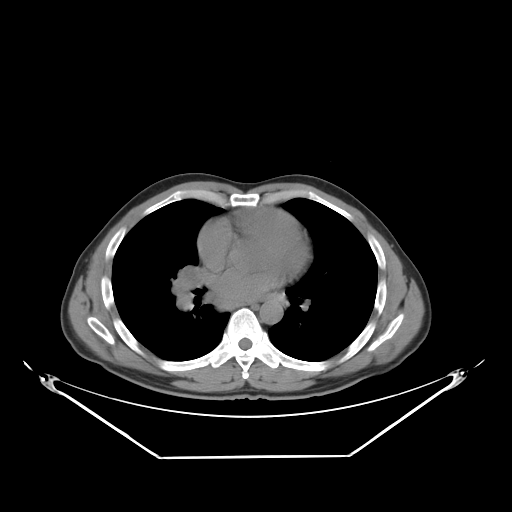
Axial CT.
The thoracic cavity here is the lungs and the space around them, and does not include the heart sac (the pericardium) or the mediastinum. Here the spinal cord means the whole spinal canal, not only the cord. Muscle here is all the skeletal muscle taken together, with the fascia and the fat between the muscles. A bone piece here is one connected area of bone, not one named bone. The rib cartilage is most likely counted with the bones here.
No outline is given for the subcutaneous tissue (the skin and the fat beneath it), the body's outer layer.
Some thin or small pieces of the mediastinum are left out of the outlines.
The pericardium is outlined by (256, 206) (273, 206) (281, 208) (293, 215) (307, 231) (311, 243) (312, 259) (302, 275) (291, 285) (285, 287) (283, 292) (276, 292) (252, 299) (245, 299) (216, 291) (202, 280) (200, 272) (197, 268) (200, 264) (196, 245) (198, 232) (209, 218) (225, 214) (238, 208). The spinal cord is outlined by (243, 338) (247, 338) (249, 340) (250, 340) (250, 341) (251, 342) (251, 345) (250, 346) (250, 347) (249, 347) (248, 348) (247, 348) (246, 349) (243, 349) (242, 348) (241, 348) (239, 346) (239, 341) (240, 340) (241, 340). The thoracic cavity appears in 2 outlined pieces: piece 1: (191, 198) (223, 210) (209, 217) (197, 232) (195, 245) (198, 262) (195, 267) (211, 297) (213, 309) (219, 314) (227, 312) (230, 315) (219, 342) (211, 350) (191, 359) (170, 360) (157, 356) (142, 345) (120, 317) (112, 288) (112, 264) (124, 237) (142, 218) (168, 204); piece 2: (293, 198) (305, 198) (320, 203) (351, 222) (365, 238) (377, 265) (376, 291) (368, 321) (345, 349) (322, 360) (305, 360) (291, 356) (276, 347) (268, 334) (268, 330) (282, 320) (286, 311) (286, 288) (300, 280) (314, 260) (314, 246) (306, 227) (282, 207) (284, 202). The torso is outlined by (185, 172) (210, 173) (242, 182) (308, 174) (354, 195) (386, 225) (422, 275) (432, 307) (425, 340) (399, 366) (385, 374) (334, 393) (295, 400) (202, 400) (172, 396) (136, 385) (80, 357) (64, 337) (59, 321) (61, 300) (78, 256) (110, 217) (140, 190) (157, 180). The mediastinum is outlined by (204, 283) (216, 292) (245, 300) (252, 300) (276, 293) (283, 293) (284, 290) (286, 308) (281, 320) (272, 325) (267, 331) (262, 327) (256, 314) (249, 307) (240, 307) (230, 314) (227, 311) (220, 313) (217, 312) (212, 305) (212, 297) (208, 293). The muscle is outlined by (190, 181) (216, 181) (217, 182) (226, 183) (232, 185) (244, 192) (246, 192) (252, 188) (264, 184) (268, 184) (269, 183) (276, 183) (277, 182) (297, 182) (298, 183) (304, 183) (308, 185) (311, 185) (318, 189) (320, 189) (328, 194) (337, 197) (344, 202) (358, 209) (363, 213) (363, 214) (394, 247) (402, 261) (406, 266) (410, 275) (414, 279) (420, 290) (421, 296) (424, 303) (424, 308) (425, 310) (424, 311) (424, 315) (423, 316) (421, 327) (416, 335) (396, 357) (388, 362) (379, 364) (378, 365) (371, 365) (360, 370) (358, 370) (351, 374) (333, 380) (311, 385) (301, 390) (294, 390) (293, 391) (268, 391) (265, 389) (256, 389) (250, 386) (247, 383) (242, 387) (236, 390) (215, 391) (214, 392) (193, 391) (192, 390) (179, 388) (176, 386) (174, 386) (169, 382) (167, 382) (148, 373) (114, 364) (96, 355) (86, 347) (86, 346) (76, 336) (72, 328) (68, 316) (68, 303) (69, 302) (69, 299) (73, 291) (74, 286) (79, 278) (86, 263) (95, 250) (96, 247) (100, 243) (109, 230) (130, 209) (162, 191) (164, 191) (177, 184) (180, 184) (184, 182) (189, 182) with holes at (192, 188) (226, 195) (303, 188) (351, 214) (385, 257) (385, 268) (377, 268) (377, 280) (385, 279) (385, 303) (379, 315) (373, 309) (369, 316) (376, 324) (367, 342) (343, 362) (337, 361) (345, 349) (330, 357) (332, 365) (318, 372) (272, 368) (255, 358) (246, 379) (234, 357) (218, 367) (166, 371) (145, 346) (139, 344) (144, 356) (128, 346) (113, 324) (120, 316) (116, 306) (107, 309) (101, 293) (102, 276) (112, 273) (108, 243) (149, 206) and at (400, 313) (403, 313) (404, 314) (404, 316) (403, 317) (403, 319) (399, 327) (394, 333) (394, 334) (390, 338) (386, 339) (383, 342) (382, 342) (376, 348) (375, 348) (373, 350) (371, 351) (368, 351) (367, 350) (368, 346) (386, 329) (388, 324) (396, 316) (397, 316) and at (89, 316) (93, 316) (94, 317) (97, 318) (108, 329) (108, 330) (110, 332) (110, 333) (112, 335) (112, 336) (114, 339) (114, 344) (110, 344) (109, 343) (108, 343) (102, 337) (101, 337) (99, 335) (98, 335) (89, 326) (89, 325) (87, 322) (87, 318). The bones appear in 10 outlined pieces: piece 1: (243, 307) (255, 314) (272, 344) (283, 353) (305, 361) (331, 359) (332, 365) (318, 372) (305, 371) (281, 364) (272, 368) (255, 358) (246, 379) (234, 357) (218, 367) (209, 364) (184, 371) (161, 369) (157, 358) (191, 360) (211, 351) (220, 342) (231, 314) with a hole at (243, 338) (247, 338) (249, 340) (250, 340) (250, 341) (251, 342) (251, 345) (250, 346) (250, 347) (249, 347) (248, 348) (247, 348) (246, 349) (243, 349) (242, 348) (241, 348) (239, 346) (239, 341) (240, 340) (241, 340); piece 2: (192, 188) (222, 192) (226, 195) (231, 193) (263, 194) (303, 188) (315, 192) (344, 209) (351, 214) (353, 220) (352, 222) (328, 206) (305, 197) (293, 197) (285, 201) (255, 206) (239, 205) (226, 207) (191, 197) (168, 203) (142, 217) (141, 214) (146, 208) (174, 191); piece 3: (369, 321) (374, 321) (376, 324) (375, 325) (375, 328) (371, 336) (369, 338) (367, 342) (355, 354) (354, 354) (351, 357) (350, 357) (343, 362) (341, 362) (340, 363) (337, 363) (337, 361) (338, 359) (346, 351) (346, 348) (359, 335) (359, 334) (363, 330) (363, 329); piece 4: (115, 317) (119, 317) (121, 319) (121, 320) (123, 322) (125, 326) (128, 329) (128, 330) (137, 340) (137, 341) (139, 343) (139, 346) (144, 352) (144, 354) (145, 355) (144, 356) (134, 351) (129, 346) (128, 346) (120, 337) (120, 336) (116, 331) (113, 324) (113, 319); piece 5: (400, 313) (403, 313) (404, 314) (404, 316) (403, 317) (403, 319) (399, 327) (394, 333) (394, 334) (390, 338) (386, 339) (383, 342) (382, 342) (376, 348) (375, 348) (373, 350) (371, 351) (368, 351) (367, 350) (368, 346) (386, 329) (388, 324) (396, 316) (397, 316); piece 6: (89, 316) (93, 316) (94, 317) (97, 318) (108, 329) (108, 330) (110, 332) (110, 333) (112, 335) (112, 336) (114, 339) (114, 344) (110, 344) (109, 343) (108, 343) (102, 337) (101, 337) (99, 335) (98, 335) (89, 326) (89, 325) (87, 322) (87, 318); piece 7: (122, 226) (124, 226) (127, 229) (127, 232) (125, 234) (125, 235) (123, 237) (122, 240) (120, 242) (113, 257) (112, 258) (110, 258) (109, 259) (106, 260) (105, 259) (105, 251) (106, 250) (106, 248) (108, 245) (108, 243) (109, 242) (110, 239) (116, 232) (116, 231); piece 8: (368, 233) (371, 233) (377, 239) (377, 240) (379, 242) (379, 243) (383, 250) (383, 253) (384, 254) (384, 256) (385, 257) (385, 268) (384, 269) (381, 269) (378, 267) (376, 258) (371, 249) (371, 247) (370, 246) (370, 245) (368, 243) (368, 242) (366, 239) (366, 235); piece 9: (104, 275) (106, 275) (110, 278) (110, 280) (111, 281) (112, 294) (113, 295) (113, 299) (114, 300) (114, 305) (113, 306) (111, 306) (109, 309) (107, 309) (105, 307) (104, 303) (103, 302) (103, 299) (102, 298) (102, 294) (101, 293) (101, 278) (102, 276); piece 10: (382, 278) (384, 278) (385, 279) (385, 283) (386, 284) (386, 297) (385, 298) (385, 303) (384, 304) (383, 309) (381, 313) (378, 315) (377, 314) (377, 311) (374, 309) (374, 303) (375, 302) (375, 297) (376, 296) (376, 292) (377, 291) (377, 285) (378, 284) (378, 281).